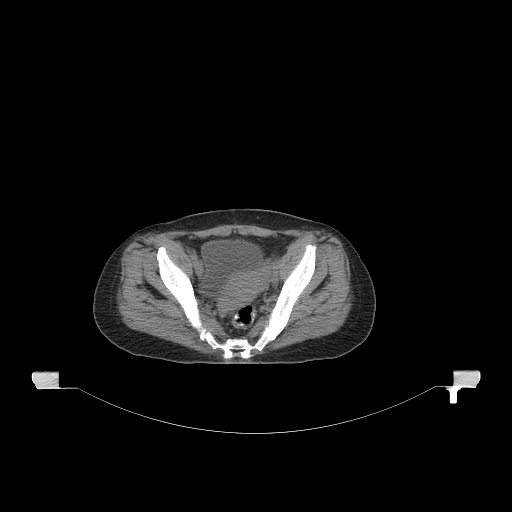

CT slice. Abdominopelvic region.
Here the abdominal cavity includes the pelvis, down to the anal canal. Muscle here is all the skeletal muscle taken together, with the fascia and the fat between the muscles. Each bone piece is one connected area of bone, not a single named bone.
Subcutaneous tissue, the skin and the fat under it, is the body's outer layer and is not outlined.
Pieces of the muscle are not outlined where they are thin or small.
torso: [[242,207],[275,210],[323,222],[339,230],[352,243],[369,271],[376,295],[373,326],[368,337],[362,344],[336,358],[301,363],[178,363],[131,354],[111,343],[99,331],[92,313],[94,289],[106,260],[115,248],[130,234],[145,226],[169,221],[189,214]]
abdominal cavity: [[232,233],[259,237],[283,235],[294,238],[276,260],[282,284],[275,302],[269,313],[258,320],[247,338],[228,337],[218,322],[201,305],[198,305],[191,281],[193,277],[192,262],[183,243],[178,239],[186,236],[202,239],[209,236],[228,236]]
muscle 1: [[233,223],[268,229],[322,229],[337,237],[349,260],[352,292],[352,306],[343,325],[327,335],[253,356],[252,350],[261,351],[287,325],[295,303],[315,272],[317,246],[313,243],[304,246],[300,259],[282,282],[277,260],[295,238],[237,232],[177,238],[191,262],[191,280],[163,245],[155,254],[162,283],[180,305],[199,339],[212,349],[221,349],[222,357],[124,324],[116,299],[120,259],[137,236],[148,232],[202,230]]
muscle 2: [[199,306],[201,306],[205,310],[205,311],[207,312],[208,315],[210,317],[213,318],[215,321],[217,322],[217,323],[223,330],[223,332],[226,334],[227,338],[226,338],[223,341],[219,341],[217,340],[214,335],[204,326],[200,316],[200,310],[199,309]]
muscle 3: [[267,314],[268,314],[268,317],[267,318],[267,323],[263,327],[260,334],[255,340],[255,341],[252,343],[250,342],[248,339],[248,336],[249,334],[250,334],[251,332],[254,329],[254,328],[256,326],[259,320],[262,317],[265,316]]
bones: [[307,244],[316,246],[311,279],[294,303],[284,328],[261,350],[252,349],[248,358],[236,355],[225,359],[221,348],[212,348],[200,339],[163,283],[156,258],[158,248],[163,246],[188,276],[202,324],[217,341],[246,338],[252,344],[268,323],[283,282]]